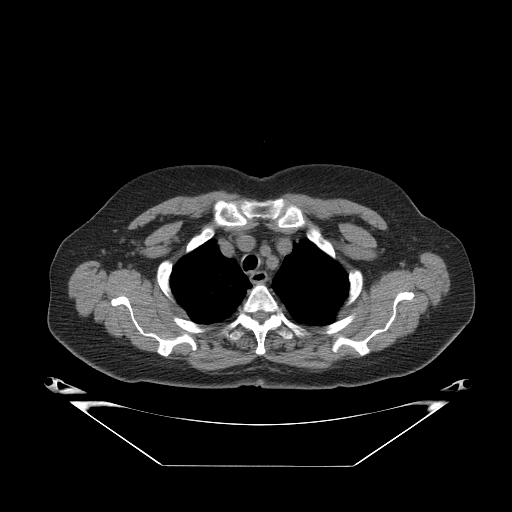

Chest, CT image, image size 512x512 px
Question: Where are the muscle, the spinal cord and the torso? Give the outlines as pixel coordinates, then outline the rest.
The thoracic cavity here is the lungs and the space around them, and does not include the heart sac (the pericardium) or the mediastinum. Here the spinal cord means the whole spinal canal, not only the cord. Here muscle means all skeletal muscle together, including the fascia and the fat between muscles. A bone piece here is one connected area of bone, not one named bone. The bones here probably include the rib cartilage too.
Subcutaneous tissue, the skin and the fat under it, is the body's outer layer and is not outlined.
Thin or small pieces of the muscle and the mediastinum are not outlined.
Answer: {"muscle":[[[216,190],[257,199],[218,199],[213,221],[219,227],[243,227],[254,218],[279,229],[303,227],[299,207],[273,198],[288,192],[367,206],[388,222],[383,251],[367,263],[371,273],[379,276],[430,251],[446,264],[449,291],[414,332],[370,353],[368,342],[389,328],[398,303],[414,297],[399,291],[382,327],[359,340],[334,340],[334,353],[347,345],[361,356],[333,368],[311,371],[262,356],[202,371],[164,357],[182,343],[195,351],[189,333],[206,332],[205,324],[229,321],[219,333],[232,341],[244,334],[239,326],[251,331],[254,352],[262,356],[271,330],[290,340],[311,334],[301,325],[322,326],[325,335],[345,328],[356,314],[337,319],[338,311],[363,287],[362,272],[347,271],[316,226],[305,235],[262,221],[215,235],[206,226],[174,264],[166,258],[156,268],[159,288],[189,318],[172,317],[183,333],[164,338],[145,331],[127,296],[110,299],[128,309],[141,335],[157,341],[158,354],[140,350],[78,315],[69,277],[88,260],[131,264],[149,274],[154,264],[138,247],[150,231],[128,224],[169,198]]],"spinal_cord":[[[260,310],[261,310],[262,311],[263,311],[264,312],[265,312],[266,313],[267,313],[268,314],[268,317],[263,322],[262,322],[261,323],[260,323],[256,319],[255,319],[252,316],[252,314],[253,313],[254,313],[255,312],[256,312],[257,311],[259,311]]],"torso":[[[306,163],[355,166],[390,178],[404,189],[424,215],[462,242],[474,278],[473,315],[427,365],[403,376],[355,387],[187,388],[113,378],[76,357],[50,333],[47,326],[48,273],[59,244],[129,180],[154,169],[181,164],[219,164],[265,176]]],"mediastinum":[[[261,222],[276,231],[290,233],[299,230],[305,236],[293,243],[291,252],[283,258],[278,270],[272,278],[271,288],[276,296],[275,298],[266,285],[258,283],[253,286],[236,260],[232,257],[225,256],[221,252],[218,242],[214,237],[221,230],[246,230]]],"thoracic_cavity":[[[304,237],[306,237],[332,259],[336,260],[347,272],[348,280],[347,297],[337,311],[335,316],[336,319],[325,325],[299,324],[290,319],[286,315],[284,308],[276,299],[277,296],[272,288],[273,278],[279,270],[284,258],[292,252],[294,243],[297,243]],[[213,237],[217,242],[220,252],[225,257],[232,258],[235,260],[252,286],[246,291],[247,295],[238,307],[237,313],[232,320],[224,320],[214,323],[198,323],[190,319],[185,310],[176,301],[170,285],[170,277],[173,266],[180,258],[185,254],[193,251]]],"bones":[{"outer":[[258,284],[266,286],[283,308],[285,315],[310,334],[302,337],[295,335],[290,339],[285,339],[276,329],[271,329],[266,333],[265,352],[262,355],[255,352],[257,341],[251,330],[239,325],[243,334],[236,340],[221,334],[220,331],[236,317],[249,291]],"hole":[[260,310],[261,310],[262,311],[263,311],[264,312],[265,312],[266,313],[267,313],[268,314],[268,317],[263,322],[262,322],[261,323],[260,323],[256,319],[255,319],[252,316],[252,314],[253,313],[254,313],[255,312],[256,312],[257,311],[259,311]]},[[278,198],[284,199],[287,204],[292,204],[301,210],[305,220],[305,224],[301,227],[279,228],[274,220],[260,217],[249,219],[247,223],[243,226],[219,226],[214,221],[214,204],[218,200],[223,200],[227,202],[232,201],[239,204],[243,200],[266,200]],[[121,295],[127,297],[143,330],[161,338],[171,339],[185,332],[174,322],[174,316],[210,328],[188,333],[196,343],[195,350],[187,342],[182,342],[176,344],[167,356],[162,356],[157,352],[158,341],[139,332],[129,309],[124,304],[111,304],[112,298]],[[404,291],[412,292],[413,297],[410,300],[404,299],[397,303],[395,317],[388,328],[383,332],[377,333],[367,342],[369,353],[362,356],[347,344],[341,345],[336,352],[332,350],[332,345],[339,336],[359,341],[374,330],[382,328],[392,314],[396,295]],[[166,259],[170,260],[173,265],[172,266],[172,269],[171,270],[170,276],[169,277],[169,285],[170,286],[170,288],[171,289],[171,291],[175,301],[172,301],[170,300],[164,294],[158,284],[157,278],[156,277],[157,268],[159,264],[163,260],[165,260]],[[312,226],[314,227],[316,227],[319,230],[319,231],[321,233],[323,237],[330,242],[330,243],[332,245],[335,251],[335,254],[336,255],[336,258],[335,259],[332,258],[325,252],[321,250],[306,236],[306,231],[308,229],[308,228]],[[353,269],[358,269],[361,272],[361,273],[362,274],[362,287],[361,288],[360,293],[358,295],[358,296],[350,304],[349,304],[348,305],[345,305],[345,304],[344,303],[346,301],[346,300],[348,297],[348,294],[349,293],[349,280],[348,279],[348,272]],[[206,227],[212,227],[214,229],[214,231],[215,232],[214,233],[214,235],[211,238],[210,238],[208,240],[207,240],[193,250],[190,251],[188,253],[185,253],[185,250],[186,249],[186,245],[187,243],[190,240],[190,239],[193,236],[198,234],[204,228]],[[353,313],[355,314],[355,317],[353,319],[353,320],[342,329],[339,330],[337,332],[335,332],[331,334],[325,334],[324,333],[322,333],[322,330],[323,329],[322,328],[323,326],[325,326],[330,323],[332,323],[336,320],[344,318],[348,315],[352,314]]]}